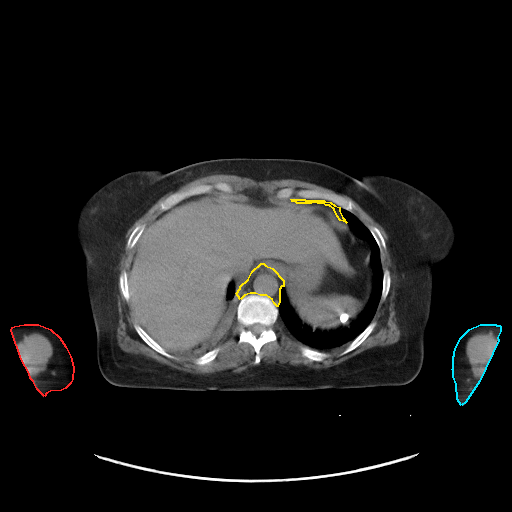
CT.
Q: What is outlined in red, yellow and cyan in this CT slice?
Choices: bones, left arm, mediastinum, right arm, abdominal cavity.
A: red: right arm; yellow: mediastinum; cyan: left arm.
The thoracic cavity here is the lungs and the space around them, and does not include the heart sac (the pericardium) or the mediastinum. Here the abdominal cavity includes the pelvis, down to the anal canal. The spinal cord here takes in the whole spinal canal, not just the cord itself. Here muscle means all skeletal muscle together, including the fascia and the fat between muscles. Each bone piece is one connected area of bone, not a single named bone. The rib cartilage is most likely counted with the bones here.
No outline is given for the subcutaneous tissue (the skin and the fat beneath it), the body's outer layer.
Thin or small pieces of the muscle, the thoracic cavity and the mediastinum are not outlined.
The right arm is outlined by 24,324 38,324 50,329 59,337 65,346 70,356 73,367 72,379 70,383 65,388 61,390 50,391 46,393 44,396 37,389 33,381 30,378 29,373 21,359 11,330 12,327 14,326. The mediastinum appears in 2 outlined pieces: piece 1: 261,263 263,263 265,265 272,268 283,280 283,286 281,286 279,289 279,301 277,306 274,303 272,299 266,295 260,295 255,293 250,293 244,295 240,299 236,293 240,288 240,286 248,279 252,271; piece 2: 291,199 304,199 305,200 323,200 324,201 330,202 334,205 339,207 339,211 342,217 346,222 340,220 337,216 334,209 329,205 326,205 323,203 318,203 317,202 311,202 310,203 297,203 296,202 292,201. The left arm is outlined by 480,324 495,324 496,325 499,325 500,326 500,331 497,337 498,340 479,381 465,402 461,405 457,399 456,384 453,376 453,370 452,369 453,368 453,356 454,355 454,352 456,346 461,337 469,329. The spinal cord is outlined by 255,323 259,323 260,324 261,324 262,325 263,325 264,326 264,328 261,331 261,332 257,336 256,335 255,335 250,330 249,330 248,329 248,327 250,325 251,325 252,324 254,324. The abdominal cavity is outlined by 244,190 332,208 338,219 369,245 371,295 347,327 314,330 302,323 290,305 283,278 261,262 237,291 233,281 228,284 227,309 211,338 193,349 168,351 138,323 132,311 128,272 133,248 160,212 186,198. The bones appear in 11 outlined pieces: piece 1: 250,294 268,297 271,299 278,309 278,318 274,325 277,339 275,341 270,341 265,343 260,348 260,362 258,364 255,364 254,362 255,359 254,348 247,342 238,343 239,324 236,319 237,306 240,300 244,296 with a hole at 255,323 259,323 260,324 261,324 262,325 263,325 264,326 264,328 261,331 261,332 257,336 256,335 255,335 250,330 249,330 248,329 248,327 250,325 251,325 252,324 254,324; piece 2: 282,188 292,188 294,190 316,189 324,191 331,191 346,199 351,200 354,203 356,209 353,213 327,200 323,199 305,199 304,198 299,198 295,195 293,195 289,198 278,198 276,197 276,193 278,190; piece 3: 216,182 225,182 229,184 232,187 232,191 231,192 223,192 214,189 211,192 208,193 202,193 186,197 165,210 160,211 158,208 158,205 161,201 164,200 171,194 178,190 185,189 198,184 213,184; piece 4: 134,323 137,323 158,344 159,344 169,353 170,353 172,355 173,355 175,357 175,358 169,358 168,357 159,353 157,351 156,351 154,349 153,349 150,346 149,346 138,335 138,334 136,332 136,331 134,328; piece 5: 372,321 375,321 376,322 376,324 375,325 374,328 372,330 372,331 367,336 367,337 357,347 356,347 351,351 350,351 349,352 348,352 345,354 341,354 342,351 359,334 360,334 365,329 365,328; piece 6: 302,345 307,346 315,350 318,350 319,351 324,351 325,352 327,352 329,354 329,356 325,358 322,361 314,361 313,360 310,360 302,355 301,353 301,351 300,350 300,346; piece 7: 215,347 219,347 219,351 218,352 217,355 213,360 212,360 210,362 209,362 206,364 203,364 202,365 199,365 198,364 196,364 194,362 194,361 196,358 203,355 205,353 206,353 208,351 213,349; piece 8: 142,223 144,223 145,224 145,227 143,231 139,236 134,246 132,248 128,248 126,246 126,244 127,243 127,240 129,236 131,234 132,231 135,228 135,227 138,224 141,224; piece 9: 123,269 124,270 125,270 127,273 127,282 128,283 128,291 129,292 129,300 128,301 127,301 124,298 124,297 123,296 123,295 122,294 122,293 120,290 120,286 119,285 119,275 120,274 120,272; piece 10: 386,268 389,270 389,273 390,274 390,286 389,287 389,290 388,291 388,293 387,294 387,295 386,296 386,297 385,298 385,299 384,300 381,300 381,294 382,293 382,287 383,286 383,270; piece 11: 369,226 374,226 376,227 381,233 385,241 385,244 386,246 385,248 383,249 382,251 380,252 380,249 374,237 372,235 371,232 368,228. The muscle appears in 4 outlined pieces: piece 1: 211,174 232,174 257,181 297,179 334,191 282,187 276,191 275,197 272,197 259,189 234,192 233,187 225,181 198,183 178,189 161,200 157,205 159,212 153,219 147,225 144,222 138,223 128,236 125,246 132,249 129,267 127,272 123,268 119,272 118,285 137,320 133,323 137,335 149,347 169,359 176,358 172,354 196,357 193,362 202,366 216,358 220,351 217,344 236,320 237,343 247,343 253,348 253,362 258,365 240,372 233,372 231,369 211,373 186,372 142,354 126,352 119,347 116,338 119,317 116,267 125,244 126,232 163,195 196,178; piece 2: 337,193 346,195 355,201 384,229 387,235 387,244 397,276 394,308 397,319 396,322 400,330 400,337 392,344 368,348 338,364 325,368 311,368 303,365 281,364 278,362 259,364 261,362 261,348 265,344 275,342 278,339 275,325 279,321 294,338 303,344 299,346 301,355 314,362 322,362 329,357 330,354 325,351 338,348 348,343 340,354 345,355 351,352 368,337 377,324 375,320 372,320 380,300 384,301 386,299 391,286 390,270 386,267 383,269 381,261 381,252 387,246 386,241 376,226 369,225 367,227 354,213 357,207 351,199; piece 3: 32,332 38,332 46,336 51,342 53,347 53,353 51,356 47,370 41,377 37,379 34,382 34,381 30,378 29,373 27,371 21,359 19,352 16,347 16,344 17,342 23,337 23,335 24,334 29,334; piece 4: 490,328 492,328 496,331 498,340 491,354 491,356 484,369 484,371 479,381 478,381 476,378 473,376 473,374 471,371 471,366 468,361 468,358 466,355 466,343 468,339 473,334 483,330 486,331. The torso is outlined by 218,158 305,159 357,178 363,174 387,175 420,189 443,208 453,224 455,240 449,254 432,268 423,363 413,380 402,385 356,388 192,391 117,386 102,376 85,262 76,237 82,206 99,188 127,172 170,171. The thoracic cavity appears in 2 outlined pieces: piece 1: 340,208 354,214 362,222 379,249 382,268 381,293 371,321 360,333 343,345 319,350 305,345 278,321 280,289 284,288 289,305 301,323 314,331 329,332 347,328 364,309 373,290 370,245 355,235; piece 2: 231,282 234,283 235,293 237,295 239,301 236,306 235,320 231,324 229,330 225,335 213,348 197,357 190,355 188,356 180,355 170,352 176,352 180,350 193,350 212,338 228,309 229,302 226,295 228,286.